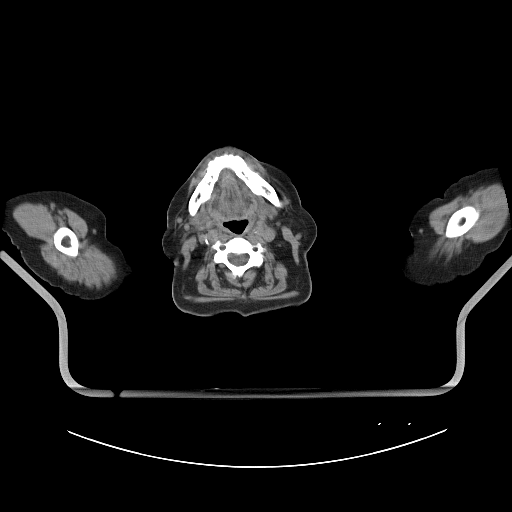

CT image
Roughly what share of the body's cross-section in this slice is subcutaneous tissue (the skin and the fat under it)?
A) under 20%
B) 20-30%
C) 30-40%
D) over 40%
C) 30-40%
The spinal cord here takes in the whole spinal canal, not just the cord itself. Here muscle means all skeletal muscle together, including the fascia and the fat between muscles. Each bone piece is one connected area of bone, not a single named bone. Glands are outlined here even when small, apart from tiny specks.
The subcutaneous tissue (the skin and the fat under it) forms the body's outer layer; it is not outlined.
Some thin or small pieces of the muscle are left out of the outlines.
head and neck: 221 144; 233 145; 283 170; 294 184; 302 205; 315 221; 317 235; 307 252; 312 285; 311 294; 304 303; 294 308; 247 316; 235 312; 217 316; 198 316; 183 312; 172 299; 173 263; 162 249; 167 208; 174 193; 200 160; 209 150, around a hole outlined by 241 220; 245 220; 247 222; 247 223; 246 224; 244 229; 239 233; 238 233; 237 232; 235 232; 234 231; 232 231; 232 230; 231 229; 230 229; 228 227; 227 227; 224 224; 224 223; 225 222; 229 222; 230 221; 240 221
right arm: 42 189; 57 189; 72 193; 94 204; 104 213; 107 238; 121 248; 125 256; 134 266; 133 275; 126 285; 103 299; 85 300; 67 294; 58 287; 50 285; 26 265; 16 247; 11 243; 8 236; 2 230; 4 206; 6 200; 16 194
submandibular glands 1: 262 203; 266 203; 267 204; 268 204; 271 206; 273 206; 273 207; 274 208; 274 209; 276 212; 276 214; 274 217; 273 217; 272 218; 262 218; 261 217; 261 216; 259 213; 259 209; 260 208; 260 205
submandibular glands 2: 201 211; 203 211; 204 212; 205 212; 206 213; 207 213; 208 214; 208 218; 206 220; 205 220; 201 224; 201 225; 198 225; 197 224; 197 223; 195 221; 195 220; 194 219; 194 218; 196 216; 196 215; 198 213; 199 213
bones 1: 225 152; 241 156; 254 171; 268 182; 274 188; 282 207; 277 207; 263 196; 255 194; 242 179; 238 177; 230 168; 226 167; 220 171; 210 197; 199 206; 195 215; 191 216; 188 211; 188 202; 197 183; 205 173; 208 161; 214 156
bones 2: 238 234; 244 237; 252 244; 259 242; 266 249; 263 252; 263 262; 260 266; 258 267; 252 266; 248 268; 241 277; 237 276; 234 278; 232 276; 231 271; 224 263; 214 262; 213 255; 215 250; 211 246; 216 240; 219 240; 223 243 with a hole at 230 253; 232 253; 233 254; 235 254; 236 255; 240 255; 241 254; 247 254; 248 255; 248 259; 247 260; 247 261; 245 263; 244 263; 241 265; 235 265; 234 264; 233 264; 231 262; 230 262; 228 259; 228 255
bones 3: 467 205; 471 205; 475 207; 479 211; 479 216; 474 223; 474 224; 465 233; 464 233; 462 235; 460 235; 457 237; 454 237; 453 238; 447 238; 445 237; 444 236; 445 228; 446 227; 447 222; 450 216; 456 210; 464 206; 466 206
bones 4: 60 226; 66 226; 68 227; 76 235; 79 241; 79 248; 78 249; 78 254; 74 257; 72 256; 69 256; 61 252; 59 250; 58 250; 55 247; 54 245; 54 243; 53 242; 53 234; 54 232
muscle 1: 224 150; 232 150; 240 153; 264 167; 270 174; 280 182; 283 188; 288 193; 298 214; 304 222; 305 236; 301 241; 299 254; 300 262; 299 265; 299 277; 300 278; 299 293; 294 297; 269 301; 250 301; 249 302; 238 300; 213 301; 212 302; 192 302; 182 297; 181 291; 182 290; 182 267; 179 248; 174 235; 174 220; 176 214; 182 204; 191 179; 196 175; 204 162; 208 158; 218 152, around holes outlined by 225 152; 241 156; 268 182; 274 188; 282 207; 277 207; 263 196; 255 194; 242 179; 226 167; 220 171; 210 197; 196 212; 197 214; 203 211; 208 214; 208 218; 198 225; 194 219; 196 216; 189 214; 189 199; 204 175; 208 161 and by 241 220; 245 220; 247 223; 239 234; 252 244; 259 242; 266 249; 263 252; 263 262; 260 266; 252 266; 241 277; 234 278; 224 263; 214 262; 213 255; 215 250; 211 246; 216 240; 223 243; 238 234; 227 227; 224 224; 225 222 and by 262 203; 266 203; 267 204; 268 204; 271 206; 273 206; 273 207; 274 208; 274 209; 276 212; 276 214; 274 217; 273 217; 272 218; 262 218; 261 217; 261 216; 259 213; 259 209; 260 208; 260 205
muscle 2: 38 200; 54 202; 66 206; 78 213; 86 221; 89 226; 90 234; 96 244; 112 257; 119 267; 119 277; 113 283; 100 289; 88 288; 74 284; 57 274; 55 270; 43 260; 38 245; 25 233; 12 216; 12 210; 16 205; 22 202; inner edge: 60 226; 66 226; 68 227; 76 235; 79 241; 79 248; 78 249; 78 254; 74 257; 72 256; 69 256; 61 252; 59 250; 58 250; 55 247; 54 245; 54 243; 53 242; 53 234; 54 232
muscle 3: 500 181; 501 181; 503 186; 509 212; 509 217; 502 229; 494 237; 482 242; 460 257; 447 262; 434 259; 428 259; 427 257; 428 253; 426 247; 426 229; 427 228; 427 219; 429 213; 436 207; 445 204; 463 190; 485 183; 499 182; inner edge: 467 205; 471 205; 475 207; 479 211; 479 216; 474 223; 474 224; 465 233; 464 233; 462 235; 460 235; 457 237; 454 237; 453 238; 447 238; 445 237; 444 236; 445 228; 446 227; 447 222; 450 216; 456 210; 464 206; 466 206
spinal cord: 230 253; 232 253; 233 254; 235 254; 236 255; 240 255; 241 254; 247 254; 248 255; 248 259; 247 260; 247 261; 245 263; 244 263; 241 265; 235 265; 234 264; 233 264; 231 262; 230 262; 228 259; 228 255
left arm: 492 166; 497 168; 501 179; 511 225; 511 230; 500 246; 489 253; 475 271; 460 277; 455 282; 440 285; 436 288; 427 288; 406 281; 398 270; 397 260; 402 249; 411 241; 408 224; 412 214; 430 198; 442 197; 444 190; 460 177